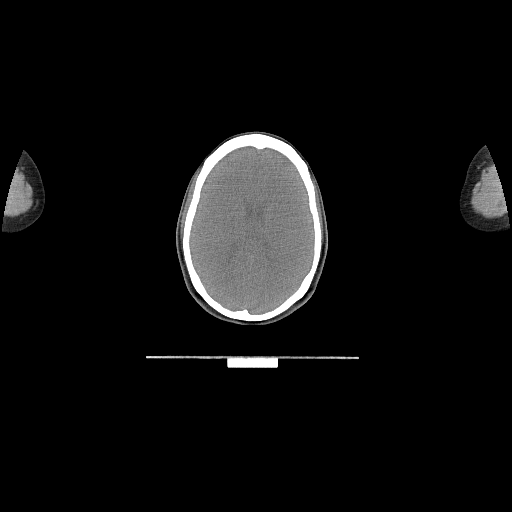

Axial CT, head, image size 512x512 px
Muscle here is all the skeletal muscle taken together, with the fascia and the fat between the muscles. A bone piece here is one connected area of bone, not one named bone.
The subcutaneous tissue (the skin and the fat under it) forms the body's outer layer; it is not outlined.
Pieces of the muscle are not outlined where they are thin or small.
The left arm is outlined by 483 145; 487 147; 492 158; 497 180; 499 182; 499 188; 501 190; 501 195; 503 197; 505 209; 507 211; 509 227; 507 231; 504 231; 501 233; 487 234; 480 233; 471 229; 464 222; 458 211; 459 194; 465 179; 467 168; 475 153. The brain is outlined by 245 147; 253 147; 257 150; 274 150; 287 158; 294 166; 306 192; 313 230; 312 259; 308 271; 298 286; 285 299; 271 309; 262 312; 251 312; 247 308; 231 309; 215 299; 208 292; 195 268; 190 246; 193 221; 208 175; 225 156. The head is outlined by 245 131; 266 131; 277 134; 289 141; 301 153; 313 170; 319 184; 327 221; 327 254; 315 291; 291 315; 265 325; 240 325; 230 323; 220 320; 206 312; 191 296; 185 285; 175 245; 176 222; 184 192; 193 172; 202 160; 224 139. The bones are outlined by 254 132; 277 138; 291 145; 307 164; 314 186; 315 204; 322 232; 322 247; 316 271; 304 295; 286 310; 271 318; 249 321; 228 317; 218 312; 196 291; 190 280; 184 261; 182 239; 185 218; 192 199; 195 182; 205 158; 230 138 with a hole at 245 147; 253 147; 257 150; 274 150; 287 158; 294 166; 306 192; 313 230; 312 259; 308 271; 298 286; 285 299; 271 309; 262 312; 251 312; 247 308; 231 309; 215 299; 208 292; 195 268; 190 246; 193 221; 208 175; 225 156. The muscle appears in 4 outlined pieces: piece 1: 490 157; 492 158; 494 164; 495 173; 497 176; 497 180; 499 182; 499 188; 501 190; 501 195; 503 197; 503 201; 505 204; 505 209; 507 212; 504 213; 500 217; 488 219; 474 213; 470 206; 470 198; 471 197; 472 182; 477 166; piece 2: 17 164; 19 164; 24 167; 28 172; 32 180; 35 190; 36 204; 30 211; 23 215; 16 217; 8 217; 7 216; 4 216; 4 214; 6 211; 6 204; 8 201; 8 197; 10 194; 10 189; 12 186; 12 181; 14 178; 14 173; piece 3: 198 172; 194 182; 194 186; 192 191; 191 199; 189 202; 185 214; 185 217; 184 218; 184 224; 182 230; 182 238; 181 241; 181 238; 180 237; 181 218; 185 206; 185 203; 187 199; 187 196; 189 192; 189 189; 195 176; piece 4: 311 176; 315 183; 315 185; 318 192; 318 197; 319 198; 320 208; 321 209; 321 214; 322 215; 322 224; 323 225; 323 239; 323 232; 322 231; 321 222; 320 221; 320 217; 318 213; 318 209; 316 204; 316 193; 315 192; 315 186. The right arm is outlined by 23 150; 26 150; 31 156; 40 172; 45 191; 45 206; 43 212; 37 220; 27 228; 17 232; 4 233; 2 230; 3 217; 6 211; 6 204; 10 194; 10 189; 12 186; 12 181; 14 178; 14 173; 16 169; 16 166.